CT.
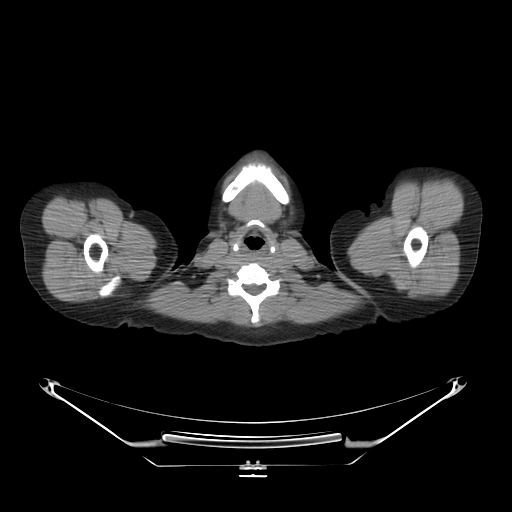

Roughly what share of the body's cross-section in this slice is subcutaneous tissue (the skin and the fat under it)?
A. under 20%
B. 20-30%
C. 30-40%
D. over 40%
Answer: C. 30-40%
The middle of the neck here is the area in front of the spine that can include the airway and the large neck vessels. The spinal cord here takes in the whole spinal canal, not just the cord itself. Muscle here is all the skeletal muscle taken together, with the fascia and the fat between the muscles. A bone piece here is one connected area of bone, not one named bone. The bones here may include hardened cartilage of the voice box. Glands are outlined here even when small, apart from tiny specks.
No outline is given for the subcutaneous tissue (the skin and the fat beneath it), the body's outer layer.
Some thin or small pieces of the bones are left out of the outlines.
Outlines (x, y in pixels):
left arm: 413,164 450,166 473,181 480,193 483,208 479,252 474,274 457,303 422,319 391,324 384,319 379,305 373,299 337,272 329,255 328,237 334,221 342,213 359,208 367,214 371,202 381,203 394,174 400,168
head and neck: 255,147 268,150 297,183 305,202 306,219 303,236 317,259 322,263 313,288 294,318 280,329 262,336 250,336 235,333 216,319 203,302 191,270 191,259 196,247 207,232 206,221 210,197 215,183 243,152
spinal cord: 251,284 254,284 255,285 262,285 263,284 264,284 265,285 265,287 264,288 264,289 263,290 262,290 259,293 258,293 257,294 251,294 250,293 249,293 248,292 247,292 243,288 243,285 250,285
bones 1: 251,262 257,262 268,272 273,272 277,277 281,278 278,293 273,296 267,296 259,304 258,312 260,319 256,323 251,322 252,311 249,304 241,296 231,296 228,293 226,280 227,278 233,276 234,272 242,265; inner edge: 251,284 254,284 255,285 262,285 263,284 264,284 265,285 265,287 264,288 264,289 263,290 262,290 259,293 258,293 257,294 251,294 250,293 249,293 248,292 247,292 243,288 243,285 250,285
bones 2: 249,163 255,163 256,164 263,163 271,168 272,172 282,184 290,198 290,200 287,204 283,204 277,200 271,192 262,183 257,181 248,184 230,201 228,202 222,201 221,195 225,188 235,178 241,168 244,165
bones 3: 90,233 98,233 102,237 102,238 105,241 107,245 107,248 108,249 108,257 106,261 104,263 104,269 103,271 100,273 95,273 93,272 88,267 84,259 84,255 83,254 83,243 86,237
bones 4: 418,225 419,226 421,226 427,232 427,234 428,235 428,242 427,243 427,249 423,257 423,259 418,266 414,268 412,268 409,265 409,263 407,260 407,258 403,253 403,243 409,230 412,227 414,226 417,226
bones 5: 115,275 119,275 121,277 121,278 119,280 119,282 117,284 117,285 115,287 115,288 112,291 112,294 108,297 104,297 103,298 100,297 98,294 98,291 101,287 101,286 105,283 106,283 112,277 113,277
bones 6: 252,219 257,219 258,220 261,221 266,226 267,229 264,229 263,228 262,228 260,226 259,226 256,224 253,224 252,225 250,225 248,227 246,227 245,226 245,224 248,221 249,221
right arm: 70,180 94,180 101,182 110,186 134,209 146,209 158,215 175,236 179,245 179,255 177,260 154,271 116,277 101,286 77,309 62,316 40,298 27,279 19,232 19,217 26,201 38,189 52,182
torso: 190,260 202,302 216,320 235,334 262,337 288,325 314,288 323,263 333,266 347,283 373,300 383,319 338,336 262,347 194,334 165,335 151,328 86,325 64,317 101,287 120,276 147,274 176,261 178,265
muscle 1: 254,154 263,155 271,160 286,176 297,210 297,218 293,225 293,228 297,232 296,238 313,258 319,271 325,273 339,286 365,298 369,304 354,312 315,324 294,324 281,321 257,328 237,326 224,321 211,324 181,321 144,309 142,297 171,283 174,276 184,274 192,269 198,254 206,247 211,240 212,232 217,228 217,206 220,188 224,179 242,160 with holes at 252,219 266,226 264,231 275,247 273,256 257,262 281,278 278,293 267,296 259,304 260,319 256,323 251,322 249,304 241,296 231,296 228,293 226,280 242,265 251,262 236,255 232,246 246,229 245,224 and at 249,163 255,163 256,164 263,163 271,168 272,172 282,184 290,198 290,200 287,204 283,204 277,200 271,192 262,183 257,181 248,184 230,201 228,202 222,201 221,195 225,188 235,178 241,168 244,165
muscle 2: 422,174 445,174 452,176 461,186 464,193 464,211 457,228 461,245 461,263 458,280 445,296 427,300 395,296 386,292 372,276 352,268 346,255 346,250 358,231 384,214 392,200 393,191 398,180 402,177, around a hole outlined by 418,225 419,226 421,226 427,232 427,234 428,235 428,242 427,243 427,249 423,257 423,259 418,266 414,268 412,268 409,265 409,263 407,260 407,258 403,253 403,243 409,230 412,227 414,226 417,226
muscle 3: 60,192 66,195 110,198 120,207 126,219 151,231 158,241 151,274 140,281 125,284 113,293 122,278 115,274 98,289 98,296 107,298 102,300 70,303 55,298 47,290 41,275 48,240 40,217 46,202, around a hole outlined by 90,233 98,233 102,237 102,238 105,241 107,245 107,248 108,249 108,257 106,261 104,263 104,269 103,271 100,273 95,273 93,272 88,267 84,259 84,255 83,254 83,243 86,237
middle of the neck: 253,225 256,225 263,229 269,237 269,239 271,240 269,241 271,243 269,247 269,251 272,254 275,251 273,256 259,261 250,261 248,259 239,257 234,252 236,252 239,249 239,241 236,240 238,239 246,228
submandibular glands: 221,223 222,223 223,223 224,224 224,225 223,226 223,227 222,227 221,226 220,225 220,224